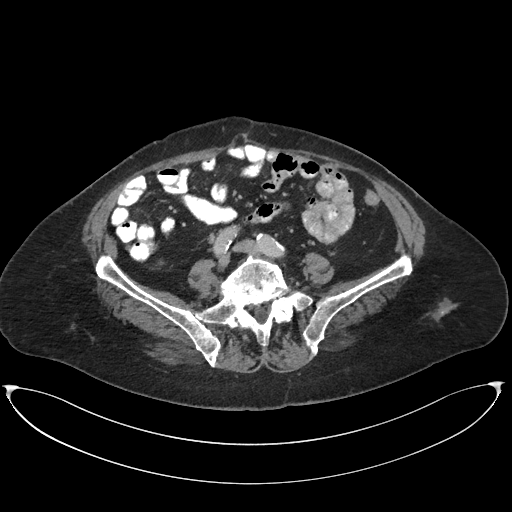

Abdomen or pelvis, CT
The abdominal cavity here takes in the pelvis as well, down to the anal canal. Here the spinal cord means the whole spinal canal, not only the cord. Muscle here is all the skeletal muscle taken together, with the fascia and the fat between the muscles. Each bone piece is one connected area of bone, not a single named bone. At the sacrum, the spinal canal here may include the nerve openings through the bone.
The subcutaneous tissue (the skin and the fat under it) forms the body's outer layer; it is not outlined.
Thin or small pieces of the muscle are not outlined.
The spinal cord is outlined by [[265,303],[268,303],[269,304],[268,305],[269,306],[269,310],[267,313],[267,316],[265,320],[262,323],[261,323],[259,322],[254,317],[251,311],[251,308],[250,306],[259,306]]. The bones appear in 2 outlined pieces: piece 1: [[101,254],[110,255],[142,290],[194,313],[220,302],[223,298],[221,282],[249,255],[277,263],[290,288],[311,296],[313,302],[295,311],[289,321],[274,324],[265,347],[249,329],[207,324],[221,345],[216,366],[211,367],[184,330],[97,275],[94,267]], around a hole outlined by [[265,303],[268,303],[269,304],[268,305],[269,306],[269,310],[267,313],[267,316],[265,320],[262,323],[261,323],[259,322],[254,317],[251,311],[251,308],[250,306],[259,306]]; piece 2: [[404,253],[408,254],[412,259],[413,271],[411,274],[374,288],[342,308],[328,323],[324,332],[324,337],[318,344],[317,353],[316,355],[312,356],[310,349],[305,343],[302,333],[315,309],[315,303],[322,298],[338,294],[367,280],[396,259],[400,258]]. The muscle appears in 6 outlined pieces: piece 1: [[237,135],[245,135],[278,147],[303,149],[337,158],[393,186],[411,204],[425,227],[424,253],[414,271],[413,259],[408,253],[404,252],[394,260],[396,225],[371,181],[355,171],[338,167],[323,159],[268,149],[242,139],[209,157],[190,163],[163,165],[127,181],[107,217],[107,232],[116,241],[116,262],[110,254],[101,253],[93,267],[81,241],[82,227],[91,208],[108,190],[134,171],[156,161],[194,150],[221,146]]; piece 2: [[382,267],[367,279],[314,303],[314,309],[301,333],[314,357],[306,365],[284,373],[264,366],[252,373],[216,368],[222,345],[207,325],[249,330],[265,348],[273,326],[289,322],[295,312],[310,306],[314,302],[311,294],[326,292],[338,282],[360,278]]; piece 3: [[94,270],[101,280],[112,284],[134,299],[148,305],[184,331],[193,343],[195,349],[207,363],[200,366],[187,364],[168,365],[148,356],[142,350],[144,348],[146,335],[131,323],[123,323],[120,319],[116,318],[94,291],[96,284],[93,277]]; piece 4: [[406,276],[409,276],[407,281],[401,286],[392,302],[389,305],[382,308],[380,311],[365,318],[363,321],[355,326],[355,329],[359,337],[353,344],[340,350],[336,351],[324,350],[318,353],[319,344],[324,339],[326,329],[336,314],[364,294]]; piece 5: [[204,258],[213,260],[215,264],[212,270],[221,278],[221,281],[219,291],[212,299],[201,299],[201,303],[205,308],[200,312],[170,304],[142,289],[128,276],[142,285],[155,290],[169,292],[189,303],[198,291],[188,283],[188,273],[195,262]]; piece 6: [[306,251],[315,251],[319,253],[322,256],[325,257],[329,261],[329,262],[334,268],[334,274],[332,276],[331,279],[326,283],[321,285],[320,287],[316,287],[315,286],[311,286],[309,285],[306,281],[303,275],[303,273],[300,268],[300,262],[304,256]]. The abdominal cavity appears in 2 outlined pieces: piece 1: [[240,140],[323,160],[371,182],[395,225],[393,261],[310,295],[293,290],[277,262],[251,254],[222,280],[213,270],[213,259],[195,261],[186,281],[197,291],[189,302],[133,279],[118,264],[117,241],[107,229],[108,217],[125,184],[163,166],[209,158]]; inner edge: [[306,251],[315,251],[319,253],[322,256],[325,257],[329,261],[329,262],[334,268],[334,274],[332,276],[331,279],[326,283],[321,285],[320,287],[316,287],[315,286],[311,286],[309,285],[306,281],[303,275],[303,273],[300,268],[300,262],[304,256]]; piece 2: [[219,292],[220,293],[220,294],[221,295],[222,295],[222,298],[221,298],[220,299],[219,302],[214,303],[213,304],[212,304],[209,306],[207,306],[206,307],[205,307],[203,305],[203,304],[202,303],[202,299],[204,299],[205,300],[212,300],[219,293]]. The torso is outlined by [[231,115],[297,127],[345,143],[380,162],[471,232],[491,251],[507,283],[507,317],[497,336],[485,346],[456,354],[363,393],[267,410],[218,410],[162,401],[110,385],[64,363],[14,349],[0,333],[0,274],[30,231],[52,210],[145,144],[176,130]].